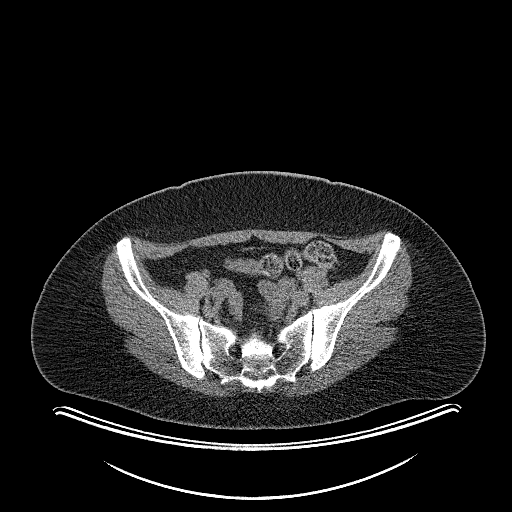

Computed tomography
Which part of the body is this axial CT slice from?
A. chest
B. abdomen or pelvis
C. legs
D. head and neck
Answer: B. abdomen or pelvis
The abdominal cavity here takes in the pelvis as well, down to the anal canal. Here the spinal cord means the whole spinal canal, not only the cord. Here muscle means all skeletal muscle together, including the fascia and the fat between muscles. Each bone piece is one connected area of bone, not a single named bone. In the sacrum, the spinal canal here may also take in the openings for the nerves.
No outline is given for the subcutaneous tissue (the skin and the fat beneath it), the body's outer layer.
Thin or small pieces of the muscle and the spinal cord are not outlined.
The spinal cord is outlined by (237, 345) (238, 346) (239, 346) (239, 347) (240, 348) (240, 350) (241, 351) (241, 354) (240, 355) (239, 355) (238, 356) (237, 356) (236, 355) (234, 355) (233, 354) (233, 353) (231, 351) (231, 348) (232, 348) (234, 346) (236, 346). The muscle appears in 2 outlined pieces: piece 1: (402, 241) (411, 259) (412, 284) (407, 293) (408, 305) (396, 323) (397, 338) (341, 380) (323, 390) (299, 397) (272, 392) (265, 394) (243, 392) (208, 396) (185, 389) (151, 371) (125, 350) (123, 335) (106, 311) (100, 285) (105, 256) (115, 242) (114, 253) (124, 278) (131, 289) (163, 319) (180, 366) (198, 380) (202, 380) (209, 371) (218, 377) (221, 385) (238, 381) (243, 386) (255, 389) (260, 393) (264, 388) (271, 388) (279, 379) (295, 383) (297, 374) (306, 365) (312, 373) (327, 363) (345, 317) (387, 275); piece 2: (248, 228) (318, 231) (347, 237) (360, 237) (380, 229) (390, 230) (384, 232) (375, 261) (365, 280) (345, 299) (318, 307) (316, 307) (314, 297) (306, 293) (302, 288) (301, 276) (304, 270) (309, 266) (318, 267) (325, 272) (327, 281) (331, 286) (361, 273) (369, 256) (365, 253) (341, 247) (321, 236) (312, 237) (305, 242) (289, 241) (280, 243) (266, 241) (253, 235) (245, 241) (188, 246) (169, 256) (148, 259) (145, 262) (147, 270) (151, 278) (161, 286) (171, 287) (183, 292) (186, 275) (193, 271) (200, 272) (210, 281) (210, 288) (198, 300) (198, 312) (196, 315) (189, 312) (180, 313) (174, 311) (154, 297) (143, 281) (134, 255) (132, 240) (128, 235) (124, 235) (135, 234) (150, 241) (170, 243) (212, 233). The abdominal cavity is outlined by (253, 236) (280, 244) (321, 237) (368, 256) (361, 272) (331, 285) (323, 269) (307, 266) (301, 288) (315, 307) (281, 327) (273, 341) (255, 330) (241, 337) (198, 315) (199, 300) (211, 288) (200, 271) (185, 275) (181, 291) (157, 283) (146, 262) (188, 247) (240, 243). The torso is outlined by (246, 171) (293, 173) (350, 184) (392, 199) (427, 222) (459, 260) (482, 310) (485, 353) (473, 380) (457, 394) (443, 399) (409, 399) (316, 426) (246, 430) (158, 420) (64, 392) (48, 383) (32, 355) (32, 314) (50, 272) (82, 233) (110, 211) (144, 195) (190, 180). The bones are outlined by (387, 231) (399, 236) (400, 249) (344, 317) (330, 358) (260, 392) (238, 380) (221, 384) (209, 370) (202, 379) (188, 373) (164, 319) (132, 289) (115, 253) (116, 242) (130, 238) (142, 281) (168, 309) (273, 342) (309, 310) (348, 298) (370, 274); inner edges: (246, 373) (253, 373) (255, 375) (260, 375) (261, 374) (264, 374) (265, 373) (269, 373) (269, 374) (267, 376) (267, 377) (266, 377) (265, 378) (257, 378) (256, 379) (252, 379) (250, 377) (249, 377) (246, 374), then (237, 345) (238, 346) (239, 346) (239, 347) (240, 348) (240, 350) (241, 351) (241, 354) (240, 355) (239, 355) (238, 356) (237, 356) (236, 355) (234, 355) (233, 354) (233, 353) (231, 351) (231, 348) (232, 348) (234, 346) (236, 346), then (278, 344) (282, 344) (283, 345) (283, 348) (282, 349) (282, 350) (281, 351) (281, 352) (280, 353) (280, 354) (279, 354) (278, 355) (274, 355) (274, 350) (275, 349) (275, 347) (276, 347) (277, 346) (277, 345).